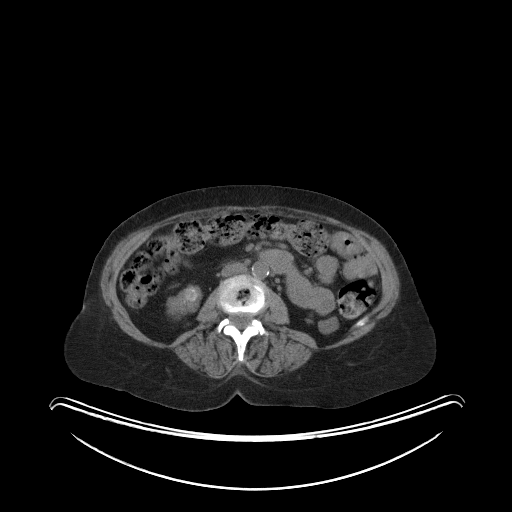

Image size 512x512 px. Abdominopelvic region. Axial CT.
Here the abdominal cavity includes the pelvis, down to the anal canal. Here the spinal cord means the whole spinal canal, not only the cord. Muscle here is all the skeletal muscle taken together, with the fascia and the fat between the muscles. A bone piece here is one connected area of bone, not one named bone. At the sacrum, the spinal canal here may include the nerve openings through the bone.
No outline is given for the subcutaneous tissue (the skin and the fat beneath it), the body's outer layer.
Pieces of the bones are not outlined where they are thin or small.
The abdominal cavity is outlined by 245,210 306,218 349,231 375,258 381,278 377,304 342,337 320,345 308,333 288,326 288,307 279,293 260,279 239,273 220,281 199,309 197,324 172,341 144,333 122,305 116,289 118,274 132,253 168,224. The muscle is outlined by 222,205 239,205 240,206 279,205 280,206 293,207 298,209 304,209 305,210 308,210 333,217 349,225 351,225 367,232 375,237 385,247 390,255 397,271 399,278 399,282 400,283 400,287 399,288 399,296 395,305 389,314 384,317 375,327 367,334 345,345 342,345 336,348 332,348 328,350 323,350 314,353 310,359 299,368 291,372 279,376 274,376 269,378 260,377 240,363 237,363 233,367 233,369 223,378 221,379 211,378 206,375 200,374 190,368 180,360 178,357 169,349 158,348 155,346 148,345 138,340 136,340 131,336 128,335 120,328 118,324 113,319 112,314 109,311 108,307 103,299 101,293 101,289 100,288 100,278 101,277 103,267 107,258 117,243 133,231 135,231 142,227 153,224 158,221 160,221 162,219 164,219 166,217 177,213 180,213 189,210 195,210 196,209 208,208 209,207 221,206 with a hole at 245,210 332,224 369,249 381,295 364,324 320,345 288,326 288,307 269,289 256,316 268,334 252,336 239,361 234,340 216,331 226,316 216,287 199,309 197,324 172,341 144,333 116,289 132,253 168,224. The bones are outlined by 239,274 245,274 260,280 268,289 265,306 256,316 261,321 268,334 257,334 248,340 243,354 243,361 237,359 238,354 234,340 229,335 226,335 221,331 216,331 217,325 226,316 218,303 218,287 224,279; inner edge: 239,312 244,312 245,313 249,313 250,314 251,314 251,315 252,316 252,318 251,319 250,322 243,329 239,329 235,325 234,325 231,322 231,321 230,320 230,315 231,314 232,314 233,313 238,313. The spinal cord is outlined by 239,312 244,312 245,313 249,313 250,314 251,314 251,315 252,316 252,318 251,319 250,322 243,329 239,329 235,325 234,325 231,322 231,321 230,320 230,315 231,314 232,314 233,313 238,313. The torso is outlined by 232,183 277,184 319,191 350,203 379,223 403,255 434,328 437,352 430,371 415,383 346,407 258,406 236,395 225,405 205,411 170,408 76,377 64,361 63,340 81,308 94,258 110,232 130,215 164,196.